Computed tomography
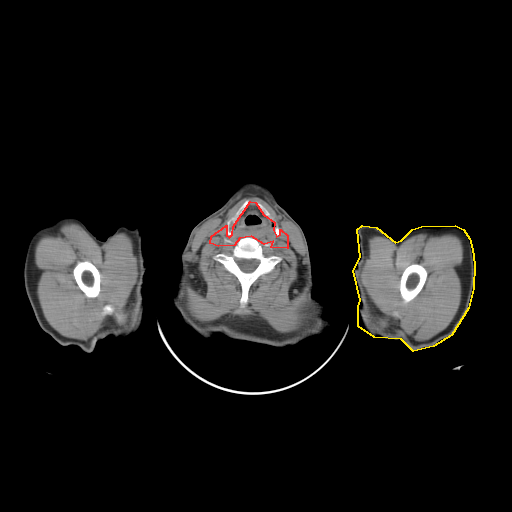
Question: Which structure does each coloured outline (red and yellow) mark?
Answer: red: middle of the neck; yellow: left arm.
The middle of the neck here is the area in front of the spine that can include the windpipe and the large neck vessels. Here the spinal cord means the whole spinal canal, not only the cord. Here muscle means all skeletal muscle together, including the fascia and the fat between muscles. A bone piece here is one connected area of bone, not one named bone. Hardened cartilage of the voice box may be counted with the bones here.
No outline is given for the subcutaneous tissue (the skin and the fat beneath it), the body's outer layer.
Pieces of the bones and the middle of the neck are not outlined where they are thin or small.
The middle of the neck is outlined by (250, 201) (255, 202) (263, 214) (274, 222) (273, 230) (276, 236) (280, 234) (280, 229) (287, 235) (287, 248) (271, 247) (273, 241) (264, 244) (251, 236) (239, 238) (234, 245) (218, 246) (210, 243) (211, 236) (226, 225) (226, 235) (229, 237) (232, 234) (233, 226). The left arm is outlined by (362, 225) (376, 227) (395, 242) (401, 240) (412, 229) (421, 226) (455, 225) (463, 229) (469, 238) (472, 249) (474, 264) (473, 288) (468, 308) (451, 335) (433, 346) (413, 351) (401, 339) (374, 337) (358, 326) (358, 306) (360, 300) (353, 270) (360, 257) (357, 229). The head and neck is outlined by (248, 181) (265, 185) (303, 230) (312, 266) (312, 295) (325, 306) (324, 316) (333, 325) (320, 336) (282, 347) (231, 339) (220, 333) (211, 338) (204, 338) (184, 323) (173, 306) (172, 298) (176, 293) (181, 273) (180, 256) (191, 230) (198, 222) (217, 210) (240, 184). The bones appear in 6 outlined pieces: piece 1: (244, 237) (251, 237) (256, 239) (262, 246) (262, 250) (266, 255) (276, 255) (281, 257) (281, 260) (271, 271) (260, 275) (251, 284) (248, 291) (248, 302) (245, 307) (240, 307) (239, 301) (242, 291) (240, 282) (232, 273) (213, 257) (218, 253) (229, 254) (238, 240), around a hole outlined by (236, 259) (257, 259) (259, 261) (259, 263) (258, 264) (258, 265) (255, 268) (255, 269) (254, 270) (253, 270) (252, 271) (251, 271) (250, 272) (245, 272) (244, 271) (243, 271) (239, 267) (239, 266) (237, 264) (237, 263) (236, 262); piece 2: (413, 263) (421, 264) (426, 269) (427, 271) (427, 276) (426, 277) (425, 282) (418, 294) (409, 302) (407, 303) (403, 303) (402, 299) (401, 298) (401, 296) (400, 295) (400, 292) (399, 291) (399, 283) (400, 282) (400, 278) (405, 268) (410, 264) (412, 264); piece 3: (84, 260) (87, 260) (91, 262) (97, 268) (100, 274) (100, 292) (98, 296) (96, 297) (94, 297) (93, 298) (91, 298) (90, 297) (87, 297) (85, 295) (85, 294) (79, 288) (74, 278) (74, 276) (73, 275) (73, 268) (76, 264) (76, 263) (78, 261) (83, 261); piece 4: (246, 199) (249, 199) (250, 200) (248, 202) (248, 203) (246, 205) (244, 209) (236, 219) (235, 221) (235, 223) (232, 226) (232, 231) (231, 232) (231, 234) (229, 236) (228, 236) (227, 235) (227, 221) (228, 219) (229, 219) (235, 214) (235, 213) (241, 206) (243, 202); piece 5: (106, 304) (110, 304) (111, 305) (112, 305) (117, 310) (117, 311) (120, 313) (120, 314) (121, 315) (121, 316) (119, 319) (116, 319) (116, 318) (113, 315) (102, 315) (101, 314) (101, 312) (102, 311) (102, 309) (103, 308) (103, 307); piece 6: (256, 202) (259, 202) (268, 211) (268, 212) (270, 214) (270, 216) (271, 217) (271, 219) (270, 219) (268, 217) (267, 217) (264, 214) (264, 213) (261, 210) (261, 209) (257, 205) (257, 204) (256, 203). The right arm is outlined by (66, 216) (81, 220) (100, 240) (105, 240) (120, 226) (137, 228) (141, 234) (141, 248) (146, 268) (141, 289) (141, 325) (132, 334) (122, 337) (108, 335) (98, 340) (91, 352) (85, 352) (73, 344) (61, 345) (42, 330) (24, 287) (23, 267) (30, 238) (40, 228). The muscle appears in 3 outlined pieces: piece 1: (248, 191) (263, 192) (301, 232) (305, 244) (305, 256) (308, 259) (308, 295) (317, 306) (319, 324) (311, 324) (296, 331) (282, 333) (263, 319) (251, 316) (224, 315) (215, 320) (201, 322) (184, 309) (182, 288) (185, 283) (185, 255) (196, 230) (226, 208) (238, 194), around a hole outlined by (246, 199) (259, 202) (268, 211) (271, 220) (287, 235) (288, 246) (279, 249) (260, 244) (266, 255) (276, 255) (281, 260) (251, 284) (248, 302) (245, 307) (240, 307) (240, 282) (213, 258) (218, 253) (229, 254) (235, 246) (212, 245) (210, 239) (227, 224); piece 2: (67, 222) (79, 224) (99, 245) (102, 245) (119, 232) (126, 233) (132, 239) (133, 252) (138, 265) (138, 277) (130, 311) (132, 319) (120, 326) (100, 328) (86, 340) (64, 336) (49, 324) (43, 314) (34, 283) (34, 247) (37, 240) (43, 234) (55, 231) (62, 224); inner edges: (84, 260) (87, 260) (91, 262) (97, 268) (100, 274) (100, 292) (98, 296) (96, 297) (94, 297) (93, 298) (91, 298) (90, 297) (87, 297) (85, 295) (85, 294) (79, 288) (74, 278) (74, 276) (73, 275) (73, 268) (76, 264) (76, 263) (78, 261) (83, 261), then (106, 304) (110, 304) (111, 305) (112, 305) (117, 310) (117, 311) (120, 313) (120, 314) (121, 315) (121, 316) (119, 319) (116, 319) (116, 318) (113, 315) (102, 315) (101, 314) (101, 312) (102, 311) (102, 309) (103, 308) (103, 307); piece 3: (420, 233) (428, 235) (455, 234) (461, 239) (464, 251) (461, 263) (461, 299) (458, 309) (450, 323) (443, 330) (422, 341) (415, 340) (393, 326) (383, 328) (377, 325) (375, 322) (376, 313) (359, 275) (368, 257) (367, 240) (370, 236) (383, 236) (398, 246) (409, 237); inner edge: (413, 263) (421, 264) (426, 269) (427, 271) (427, 276) (426, 277) (425, 282) (418, 294) (409, 302) (407, 303) (403, 303) (402, 299) (401, 298) (401, 296) (400, 295) (400, 292) (399, 291) (399, 283) (400, 282) (400, 278) (405, 268) (410, 264) (412, 264). The spinal cord is outlined by (236, 259) (257, 259) (259, 261) (259, 263) (258, 264) (258, 265) (255, 268) (255, 269) (254, 270) (253, 270) (252, 271) (251, 271) (250, 272) (245, 272) (244, 271) (243, 271) (239, 267) (239, 266) (237, 264) (237, 263) (236, 262).